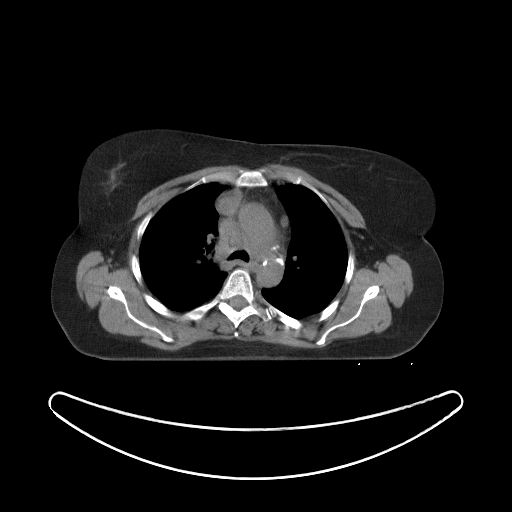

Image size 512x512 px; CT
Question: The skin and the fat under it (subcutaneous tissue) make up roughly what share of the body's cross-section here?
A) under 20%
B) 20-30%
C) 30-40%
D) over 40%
Answer: D) over 40%
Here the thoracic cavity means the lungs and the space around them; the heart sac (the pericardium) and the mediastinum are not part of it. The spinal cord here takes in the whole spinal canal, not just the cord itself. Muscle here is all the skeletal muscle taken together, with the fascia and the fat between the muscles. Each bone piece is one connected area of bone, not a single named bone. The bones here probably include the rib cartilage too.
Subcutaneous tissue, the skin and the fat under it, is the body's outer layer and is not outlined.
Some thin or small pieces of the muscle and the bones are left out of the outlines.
The mediastinum is outlined by (272, 181) (285, 181) (275, 187) (275, 192) (288, 217) (291, 236) (280, 282) (274, 287) (263, 287) (259, 291) (254, 289) (246, 269) (237, 267) (228, 274) (216, 264) (214, 258) (219, 214) (214, 203) (218, 195) (226, 189) (227, 185) (224, 183) (253, 188) (266, 187). The bones appear in 9 outlined pieces: piece 1: (237, 268) (248, 272) (253, 289) (260, 292) (269, 303) (285, 314) (300, 320) (301, 328) (285, 329) (284, 324) (276, 317) (263, 321) (255, 314) (246, 317) (235, 328) (216, 306) (198, 320) (182, 319) (181, 316) (185, 312) (210, 301) (222, 288) (228, 275), around a hole outlined by (237, 295) (239, 295) (240, 296) (243, 297) (246, 300) (246, 302) (247, 303) (247, 304) (245, 306) (242, 307) (240, 309) (236, 309) (235, 308) (234, 308) (231, 305) (230, 305) (230, 304) (229, 303) (229, 300) (232, 297) (233, 297) (234, 296) (236, 296); piece 2: (264, 167) (270, 171) (288, 170) (301, 175) (323, 194) (331, 210) (307, 187) (279, 178) (271, 179) (266, 172) (264, 174) (268, 180) (266, 186) (236, 186) (230, 182) (212, 181) (201, 183) (183, 191) (188, 185) (209, 173) (223, 170) (236, 172) (239, 169) (250, 170); piece 3: (110, 285) (118, 286) (121, 289) (126, 299) (130, 312) (136, 318) (159, 328) (165, 334) (168, 336) (171, 336) (173, 338) (173, 341) (171, 342) (164, 341) (157, 332) (145, 328) (132, 320) (127, 315) (124, 304) (121, 301) (110, 297) (107, 293) (106, 291); piece 4: (371, 285) (378, 285) (379, 286) (379, 291) (375, 297) (367, 300) (364, 303) (359, 315) (349, 323) (333, 329) (326, 336) (324, 344) (322, 345) (316, 344) (315, 342) (328, 328) (333, 325) (335, 325) (338, 323) (341, 323) (349, 319) (356, 313) (360, 305) (364, 292); piece 5: (144, 292) (146, 292) (150, 294) (153, 297) (154, 297) (160, 302) (161, 302) (166, 307) (167, 307) (170, 310) (171, 310) (174, 313) (175, 315) (174, 317) (168, 317) (167, 316) (162, 315) (158, 313) (156, 311) (155, 311) (146, 302) (143, 296) (143, 293); piece 6: (132, 254) (134, 254) (136, 255) (137, 257) (138, 257) (138, 260) (139, 261) (139, 268) (140, 269) (141, 275) (142, 276) (142, 279) (143, 280) (142, 281) (142, 284) (139, 284) (138, 283) (133, 274) (133, 272) (131, 268) (131, 265) (130, 264) (130, 256); piece 7: (335, 298) (338, 298) (339, 299) (339, 303) (338, 304) (338, 305) (337, 306) (337, 308) (335, 310) (335, 311) (334, 312) (333, 312) (325, 319) (324, 319) (321, 321) (318, 321) (317, 320) (317, 319) (319, 316) (319, 314) (320, 313) (320, 312) (324, 308) (325, 308); piece 8: (349, 252) (352, 252) (355, 257) (354, 258) (354, 269) (353, 270) (353, 273) (352, 274) (352, 276) (351, 277) (349, 282) (347, 284) (345, 284) (344, 283) (344, 279) (345, 278) (345, 274) (346, 273) (346, 270) (347, 269) (347, 263) (348, 262) (348, 253); piece 9: (149, 212) (152, 212) (154, 214) (153, 215) (153, 216) (148, 222) (148, 223) (144, 230) (144, 232) (141, 237) (141, 239) (140, 240) (140, 241) (138, 241) (137, 240) (137, 228) (138, 227) (138, 226) (139, 225) (141, 220) (144, 217) (144, 216) (145, 216). The thoracic cavity appears in 2 outlined pieces: piece 1: (212, 182) (226, 185) (225, 189) (217, 195) (213, 203) (218, 214) (217, 236) (215, 238) (213, 260) (221, 271) (227, 273) (227, 276) (218, 292) (207, 302) (184, 312) (172, 310) (152, 295) (143, 279) (139, 260) (140, 242) (149, 222) (162, 206) (182, 192) (201, 184); piece 2: (286, 182) (307, 188) (324, 203) (337, 220) (347, 248) (347, 262) (343, 282) (334, 298) (319, 313) (312, 314) (303, 319) (298, 319) (285, 313) (261, 294) (263, 288) (271, 289) (277, 286) (284, 275) (285, 260) (292, 236) (292, 228) (286, 210) (277, 195) (276, 187). The spinal cord is outlined by (237, 295) (239, 295) (240, 296) (243, 297) (246, 300) (246, 302) (247, 303) (247, 304) (245, 306) (242, 307) (240, 309) (236, 309) (235, 308) (234, 308) (231, 305) (230, 305) (230, 304) (229, 303) (229, 300) (232, 297) (233, 297) (234, 296) (236, 296). The torso is outlined by (155, 127) (258, 143) (363, 147) (397, 156) (416, 167) (430, 182) (437, 202) (435, 220) (425, 238) (440, 259) (444, 283) (440, 313) (422, 340) (390, 359) (361, 360) (113, 361) (76, 350) (53, 314) (50, 288) (59, 249) (78, 222) (82, 165) (103, 141) (131, 130). The muscle is outlined by (269, 163) (301, 168) (336, 189) (359, 210) (383, 259) (398, 254) (408, 262) (413, 289) (393, 312) (391, 324) (379, 333) (339, 338) (318, 348) (233, 338) (166, 350) (142, 343) (137, 336) (106, 331) (78, 295) (75, 276) (81, 257) (91, 250) (103, 254) (147, 192) (175, 177) (219, 165) (250, 169) (204, 174) (140, 220) (138, 256) (132, 253) (129, 264) (137, 283) (143, 281) (150, 292) (142, 293) (145, 302) (162, 316) (174, 318) (173, 311) (183, 312) (181, 319) (191, 321) (216, 307) (235, 329) (255, 315) (263, 322) (276, 318) (285, 330) (298, 331) (301, 320) (318, 314) (316, 320) (321, 322) (336, 311) (340, 299) (335, 297) (343, 283) (350, 282) (356, 257) (348, 252) (324, 194) (294, 171) (256, 168), around holes outlined by (110, 285) (118, 286) (121, 289) (126, 299) (130, 312) (136, 318) (159, 328) (165, 334) (168, 336) (171, 336) (173, 338) (173, 341) (171, 342) (164, 341) (157, 332) (145, 328) (132, 320) (127, 315) (124, 304) (121, 301) (110, 297) (107, 293) (106, 291) and by (371, 285) (378, 285) (379, 286) (379, 291) (375, 297) (367, 300) (364, 303) (359, 315) (349, 323) (333, 329) (326, 336) (324, 344) (322, 345) (316, 344) (315, 342) (328, 328) (333, 325) (335, 325) (338, 323) (341, 323) (349, 319) (356, 313) (360, 305) (364, 292).